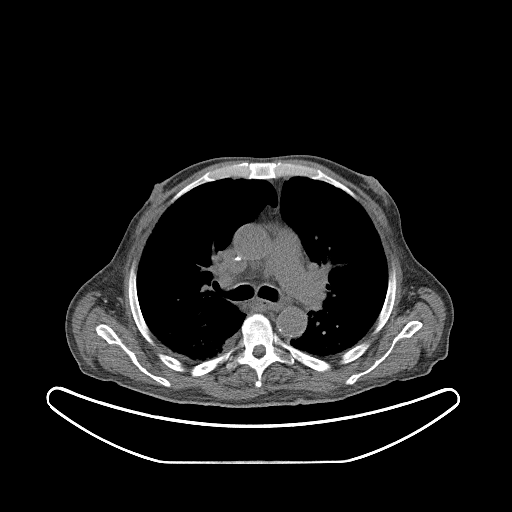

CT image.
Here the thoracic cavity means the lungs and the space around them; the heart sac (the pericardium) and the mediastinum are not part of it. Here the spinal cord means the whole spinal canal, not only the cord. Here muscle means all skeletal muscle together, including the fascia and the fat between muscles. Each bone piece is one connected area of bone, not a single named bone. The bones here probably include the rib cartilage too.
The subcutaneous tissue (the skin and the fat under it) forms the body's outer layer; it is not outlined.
{"thoracic_cavity":[[[226,178],[266,180],[276,193],[277,203],[265,205],[256,217],[240,225],[224,249],[211,258],[211,271],[227,293],[227,299],[245,315],[237,342],[227,351],[198,363],[182,362],[168,354],[146,323],[138,298],[138,265],[152,230],[171,204],[200,185]],[[296,176],[327,183],[356,200],[367,213],[379,236],[387,264],[385,296],[374,323],[358,343],[327,359],[314,356],[290,343],[291,340],[301,338],[305,332],[308,326],[308,312],[321,310],[327,280],[327,274],[314,265],[299,235],[281,215],[283,184]]],"bones":[{"outer":[[255,313],[264,315],[282,340],[329,362],[331,368],[318,371],[296,360],[291,365],[274,361],[263,371],[259,387],[255,385],[255,370],[247,364],[238,364],[228,369],[223,363],[207,373],[192,376],[192,366],[234,347],[241,336],[240,328],[243,321]],"hole":[[258,345],[262,345],[264,347],[264,353],[261,356],[256,356],[255,355],[254,355],[254,354],[253,353],[253,351],[254,350],[254,348],[256,346],[257,346]]},[[279,161],[301,164],[317,168],[349,188],[357,196],[357,200],[342,189],[327,182],[312,179],[306,176],[296,175],[290,177],[280,176],[269,179],[256,179],[243,177],[221,178],[200,184],[187,191],[169,204],[170,199],[177,192],[208,171],[233,163]],[[133,262],[135,262],[136,264],[136,290],[137,291],[137,298],[138,299],[139,307],[145,323],[151,333],[150,335],[154,341],[154,345],[150,344],[144,338],[139,331],[133,318],[132,312],[130,308],[129,295],[128,294],[128,280],[129,279],[130,268]],[[98,324],[106,324],[109,326],[116,333],[121,341],[134,353],[137,360],[144,368],[152,374],[163,377],[168,380],[170,383],[170,386],[167,387],[162,385],[148,375],[145,374],[132,362],[130,357],[117,344],[110,344],[101,336],[98,335],[95,329]],[[392,267],[394,267],[396,273],[396,289],[395,290],[395,298],[394,299],[393,307],[387,321],[384,324],[382,328],[377,333],[374,334],[373,333],[373,330],[375,327],[375,322],[378,317],[378,315],[383,306],[385,300],[387,287],[388,286],[389,270]],[[412,320],[417,320],[422,323],[422,326],[418,330],[410,337],[400,338],[394,344],[390,353],[372,370],[360,376],[352,384],[346,384],[345,383],[345,381],[351,375],[366,370],[376,360],[380,358],[390,347],[393,339],[399,333],[403,327],[408,322]],[[363,341],[368,341],[370,343],[369,345],[369,347],[363,354],[362,354],[356,359],[350,362],[348,362],[347,363],[343,363],[342,364],[339,362],[340,360],[340,357],[341,355],[344,352],[350,349],[355,345]],[[159,352],[160,352],[161,353],[164,353],[167,355],[169,355],[170,356],[171,356],[172,357],[179,360],[183,364],[183,365],[185,368],[185,370],[184,371],[177,371],[176,370],[174,370],[173,369],[168,367],[159,359],[159,358],[157,355],[157,354]]],"spinal_cord":[[[258,345],[262,345],[264,347],[264,353],[261,356],[256,356],[255,355],[254,355],[254,354],[253,353],[253,351],[254,350],[254,348],[256,346],[257,346]]],"muscle":[{"outer":[[278,159],[322,164],[357,185],[380,206],[400,254],[401,309],[412,306],[416,299],[412,293],[422,286],[432,289],[443,301],[443,330],[432,354],[422,356],[411,369],[353,385],[381,363],[400,339],[410,338],[423,326],[420,320],[412,319],[380,357],[344,381],[351,385],[333,393],[277,389],[240,400],[219,399],[194,388],[166,390],[88,365],[72,331],[78,301],[89,291],[100,291],[99,303],[121,317],[122,269],[142,215],[160,193],[195,172],[234,160],[249,161],[208,170],[177,191],[151,230],[137,269],[136,262],[131,263],[128,303],[140,334],[152,346],[154,336],[167,351],[159,351],[158,359],[174,371],[184,372],[183,363],[188,363],[193,365],[190,375],[199,377],[219,365],[224,364],[228,370],[247,365],[256,374],[257,388],[262,386],[264,371],[274,362],[291,366],[296,361],[324,372],[332,368],[326,360],[332,356],[341,354],[338,362],[342,365],[366,352],[371,343],[360,341],[374,324],[372,333],[377,334],[394,307],[396,269],[388,269],[380,236],[349,187],[317,167]],"hole":[[98,324],[106,324],[109,326],[116,333],[121,341],[134,353],[137,360],[144,368],[152,374],[163,377],[168,380],[170,383],[170,386],[167,387],[162,385],[148,375],[145,374],[132,362],[130,357],[117,344],[110,344],[101,336],[98,335],[95,329]]}],"torso":[[[287,154],[317,155],[372,175],[390,194],[398,207],[403,236],[412,254],[451,297],[454,317],[446,357],[426,375],[394,381],[341,400],[246,408],[170,402],[84,374],[67,344],[67,307],[79,287],[110,261],[131,218],[154,184],[193,163],[214,157]]],"mediastinum":[[[280,177],[289,178],[281,187],[280,215],[298,235],[313,265],[326,274],[320,310],[307,312],[304,332],[289,342],[274,331],[264,314],[246,316],[228,299],[212,271],[212,258],[225,249],[234,232],[256,218],[265,206],[277,205],[277,193],[267,180]]]}